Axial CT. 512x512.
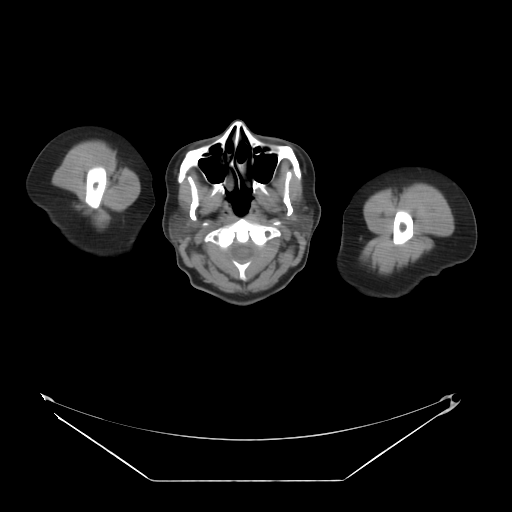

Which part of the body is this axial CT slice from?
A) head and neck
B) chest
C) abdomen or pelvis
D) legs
A) head and neck
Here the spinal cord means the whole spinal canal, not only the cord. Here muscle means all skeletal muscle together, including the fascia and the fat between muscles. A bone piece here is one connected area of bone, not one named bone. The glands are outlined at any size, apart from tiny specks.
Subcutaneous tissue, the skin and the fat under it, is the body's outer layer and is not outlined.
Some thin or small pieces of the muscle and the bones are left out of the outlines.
The left arm is outlined by 406,164 419,164 435,168 448,175 462,188 474,211 478,234 477,245 467,261 446,268 439,275 427,277 404,296 383,299 367,297 348,285 340,277 335,266 335,256 340,244 342,215 351,196 364,182 386,169. The bones appear in 5 outlined pieces: piece 1: 234,121 243,122 264,142 292,148 301,179 293,173 289,181 290,215 283,193 291,164 282,159 273,175 274,154 255,155 246,173 249,180 265,184 267,194 259,189 252,193 241,176 224,194 211,195 211,182 221,182 229,169 216,144 198,161 208,180 198,167 187,172 199,203 196,220 190,218 191,187 186,178 177,181 180,164 188,150 218,138 with holes at 243,134 246,138 246,141 247,142 247,144 249,147 249,155 247,157 247,158 246,158 243,161 240,162 236,159 236,154 237,153 237,150 238,149 238,146 239,145 239,143 242,140 242,135 and at 231,135 231,141 232,142 232,150 230,152 229,152 228,151 227,151 227,150 226,149 226,145 227,144 227,142 228,141 228,139 229,138 229,137; piece 2: 240,217 244,217 251,222 263,225 272,225 275,221 279,221 280,224 277,228 280,231 280,235 269,239 257,250 257,246 250,239 243,243 234,240 226,250 222,249 211,241 205,241 205,236 210,231 235,222; piece 3: 94,166 102,166 105,169 105,171 106,172 106,186 105,187 105,189 103,192 103,194 101,198 100,205 99,207 96,209 94,209 90,207 85,202 85,193 86,192 86,175 87,174 87,171 90,168; piece 4: 400,209 407,211 411,215 411,216 412,217 412,219 413,220 413,235 410,239 409,239 407,241 406,241 403,244 400,244 399,245 396,245 393,243 393,222 394,221 394,217 395,216 395,214 396,213 396,212; piece 5: 232,257 236,260 237,260 240,262 243,262 244,261 251,258 251,262 245,270 245,276 246,277 246,280 242,280 241,279 240,279 240,278 239,277 239,271 238,270 237,267 233,263 233,262 232,261. The head and neck is outlined by 235,119 242,120 250,131 289,140 307,152 313,163 315,192 321,206 320,220 311,237 304,267 275,294 245,306 227,303 193,287 177,266 174,248 164,236 161,224 166,197 164,176 172,155 190,142 224,131; inner edges: 216,145 219,145 220,148 220,151 221,152 220,161 222,164 226,163 228,169 225,172 223,179 222,179 221,181 218,182 212,182 208,179 206,174 200,167 199,161 202,159 207,158 210,155 210,150 211,148, then 261,152 267,155 274,155 276,157 276,162 272,172 271,178 269,181 266,183 260,182 253,177 251,177 250,179 249,179 247,176 248,168 249,167 251,168 254,163 254,157 255,156 258,156 261,153, then 241,177 243,179 245,185 246,186 249,186 251,188 251,199 249,202 249,207 247,210 247,212 243,215 238,215 234,211 232,204 226,195 226,191 227,190 229,191 234,187 235,181 236,185 238,186 241,182, then 243,134 246,138 246,141 247,142 247,144 249,147 249,155 247,157 247,158 246,158 243,161 240,162 236,159 236,154 237,153 237,150 238,149 238,146 239,145 239,143 242,140 242,135, then 231,135 231,141 232,142 232,150 230,152 229,152 228,151 227,151 227,150 226,149 226,145 227,144 227,142 228,141 228,139 229,138 229,137. The parotid glands appear in 2 outlined pieces: piece 1: 302,198 305,198 307,200 307,203 309,204 312,208 313,208 313,223 311,226 311,228 308,232 309,235 307,237 304,237 302,235 299,235 296,232 293,223 293,218 296,212 296,208 298,205 298,202 299,202; piece 2: 178,208 180,208 184,212 187,218 187,220 188,221 188,224 189,225 189,232 181,241 175,241 175,240 171,237 169,233 169,231 168,230 168,220 169,219 169,217 172,213 172,212 174,210. The muscle appears in 3 outlined pieces: piece 1: 292,147 307,171 304,197 292,218 295,232 307,238 300,261 271,288 257,293 226,293 203,282 182,263 178,247 190,225 177,208 173,176 177,160 185,152 179,164 176,181 181,184 186,179 189,184 192,221 200,203 188,174 191,168 210,182 211,196 225,194 233,211 243,216 252,194 259,190 267,195 266,184 287,160 282,202 288,217 294,211 290,181 293,174 302,179; inner edge: 240,217 263,225 272,225 275,221 280,222 277,226 280,235 269,239 261,248 256,249 251,256 251,262 245,270 246,280 240,279 239,271 233,263 232,256 227,249 222,249 217,244 204,240 210,231 235,222; piece 2: 405,181 423,181 439,189 443,193 451,208 456,223 456,231 441,249 423,255 415,262 410,263 403,270 395,275 383,276 367,272 363,270 355,260 356,253 359,249 363,237 363,204 365,200 374,192 387,186 with a hole at 400,209 407,211 411,215 411,216 412,217 412,219 413,220 413,235 410,239 409,239 407,241 406,241 403,244 400,244 399,245 396,245 393,243 393,222 394,221 394,217 395,216 395,214 396,213 396,212; piece 3: 92,138 102,139 112,147 116,148 138,175 141,184 141,191 138,198 124,211 123,214 112,224 106,232 98,232 80,214 73,209 68,197 59,189 53,186 50,182 53,172 61,163 67,151 74,144 82,140; inner edge: 94,166 102,166 105,169 105,171 106,172 106,186 105,187 105,189 103,192 103,194 101,198 100,205 99,207 96,209 94,209 90,207 85,202 85,193 86,192 86,175 87,174 87,171 90,168. The right arm is outlined by 80,124 100,124 118,131 135,146 151,171 155,205 136,240 137,249 129,257 116,260 98,259 90,257 75,249 65,241 58,230 49,221 44,211 32,203 26,194 24,185 26,175 35,157 41,149 59,132. The spinal cord is outlined by 249,240 250,240 256,246 256,249 255,250 255,252 253,254 253,255 251,256 251,257 243,261 240,261 236,259 234,257 233,257 228,251 228,248 229,246 234,241 236,241 241,244 243,244 244,243 246,243.